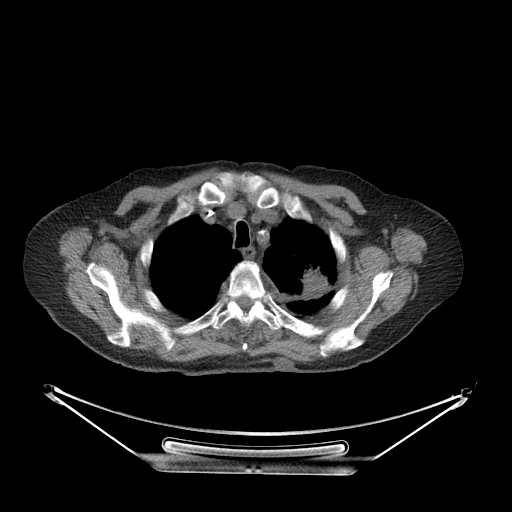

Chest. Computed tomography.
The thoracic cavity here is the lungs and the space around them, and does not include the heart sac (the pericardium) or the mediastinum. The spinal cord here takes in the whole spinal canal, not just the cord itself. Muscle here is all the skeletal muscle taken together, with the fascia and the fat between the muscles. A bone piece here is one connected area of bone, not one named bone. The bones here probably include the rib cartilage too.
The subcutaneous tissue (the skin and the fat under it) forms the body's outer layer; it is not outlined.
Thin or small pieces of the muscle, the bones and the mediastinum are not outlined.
bones 1: 242 260; 260 267; 282 308; 325 332; 306 337; 261 319; 245 326; 231 318; 218 329; 173 333; 168 351; 159 333; 141 324; 129 327; 128 347; 111 343; 106 335; 121 320; 86 272; 91 262; 105 266; 124 304; 173 328; 207 311 with a hole at 242 295; 245 295; 246 296; 247 296; 250 299; 251 299; 253 302; 252 303; 252 305; 250 307; 250 308; 247 311; 245 311; 244 310; 243 310; 240 307; 240 306; 237 303; 237 302; 236 301; 236 299; 238 297; 239 297
bones 2: 222 171; 259 174; 266 179; 266 186; 276 187; 281 195; 286 191; 297 195; 312 223; 292 218; 281 203; 260 208; 255 204; 255 195; 226 188; 222 204; 201 205; 195 199; 193 211; 168 226; 178 197; 195 197; 205 181; 217 183
bones 3: 388 270; 393 273; 389 286; 379 294; 371 310; 354 330; 356 336; 365 340; 364 343; 346 351; 342 349; 332 350; 326 357; 323 357; 319 352; 319 346; 325 341; 326 335; 332 330; 351 324; 365 310; 371 300; 374 276; 379 272
bones 4: 330 227; 331 227; 336 232; 337 232; 343 239; 343 241; 345 245; 345 249; 346 250; 346 253; 345 254; 345 259; 343 262; 339 262; 337 260; 337 258; 336 257; 336 255; 335 254; 334 249; 329 239; 329 237; 328 236; 328 229
bones 5: 149 238; 152 238; 153 239; 154 241; 154 244; 153 245; 153 249; 152 250; 152 254; 151 255; 151 260; 150 261; 150 264; 148 267; 145 267; 143 265; 142 263; 142 261; 140 258; 140 250; 141 249; 141 247; 142 245
bones 6: 145 288; 149 288; 153 291; 153 292; 160 300; 160 301; 162 303; 162 304; 166 308; 166 310; 165 311; 164 311; 163 312; 161 312; 160 311; 156 311; 149 305; 149 304; 147 302; 147 301; 144 296; 144 294; 143 293; 143 290
bones 7: 343 286; 347 286; 347 288; 348 289; 348 291; 347 292; 347 294; 343 301; 343 303; 337 309; 336 309; 335 310; 333 310; 330 307; 329 307; 328 306; 328 304; 329 303; 331 298; 334 295; 334 294; 336 292; 336 291; 337 291
torso: 215 159; 348 170; 386 193; 422 202; 441 213; 457 233; 464 261; 458 289; 386 352; 340 371; 187 376; 173 371; 131 369; 102 357; 56 325; 30 295; 22 273; 23 252; 49 239; 63 217; 67 201; 101 189; 138 168
thoracic cavity 1: 191 214; 198 215; 200 219; 208 225; 216 224; 227 230; 231 237; 231 248; 240 254; 241 260; 232 267; 226 279; 221 284; 221 288; 215 302; 203 313; 189 320; 168 309; 163 304; 152 289; 149 267; 151 264; 156 240; 167 227
thoracic cavity 2: 288 216; 292 219; 302 220; 309 224; 313 224; 319 228; 327 235; 336 258; 337 274; 336 281; 333 286; 335 292; 325 306; 317 312; 306 316; 304 319; 294 315; 274 299; 272 292; 266 286; 261 274; 264 253; 271 245; 271 231
spinal cord: 242 295; 245 295; 246 296; 247 296; 250 299; 251 299; 253 302; 252 303; 252 305; 250 307; 250 308; 247 311; 245 311; 244 310; 243 310; 240 307; 240 306; 237 303; 237 302; 236 301; 236 299; 238 297; 239 297
right arm: 62 203; 64 203; 64 212; 62 215; 62 217; 59 223; 57 225; 51 235; 48 238; 48 239; 44 243; 43 243; 42 245; 34 249; 32 249; 28 251; 23 251; 24 250; 24 243; 25 242; 26 236; 33 225; 42 216
muscle 1: 212 167; 266 170; 348 188; 367 211; 354 216; 361 233; 346 240; 352 249; 383 246; 402 226; 423 236; 427 250; 417 293; 374 328; 365 343; 355 330; 394 274; 391 269; 379 271; 371 280; 364 310; 351 323; 329 331; 318 346; 324 358; 309 362; 278 354; 180 362; 127 348; 133 325; 158 333; 168 352; 176 342; 173 334; 190 335; 210 326; 218 330; 231 319; 245 327; 261 320; 273 331; 284 328; 313 338; 326 328; 305 318; 327 305; 335 311; 344 303; 348 286; 334 289; 337 261; 343 263; 347 253; 342 236; 331 226; 324 233; 297 194; 281 194; 276 186; 266 185; 261 174; 222 170; 217 182; 205 180; 195 196; 178 196; 167 226; 139 250; 149 270; 151 288; 142 290; 148 305; 188 320; 170 327; 130 307; 121 299; 112 272; 91 261; 85 272; 106 293; 120 320; 119 328; 105 336; 65 293; 60 236; 73 226; 87 226; 94 234; 103 223; 125 227; 128 222; 114 211; 128 191; 141 185; 165 186
muscle 2: 226 189; 236 189; 243 193; 247 193; 248 194; 250 194; 252 196; 255 196; 255 199; 254 200; 254 204; 250 202; 250 201; 245 195; 241 195; 240 194; 233 197; 230 200; 228 201; 226 201; 226 199; 227 198; 227 192; 226 191
mediastinum: 239 195; 245 196; 250 203; 260 209; 277 206; 282 208; 287 214; 270 231; 270 245; 263 253; 261 267; 253 260; 242 259; 241 254; 232 248; 232 237; 227 229; 216 223; 208 224; 198 214; 192 213; 200 205; 222 205